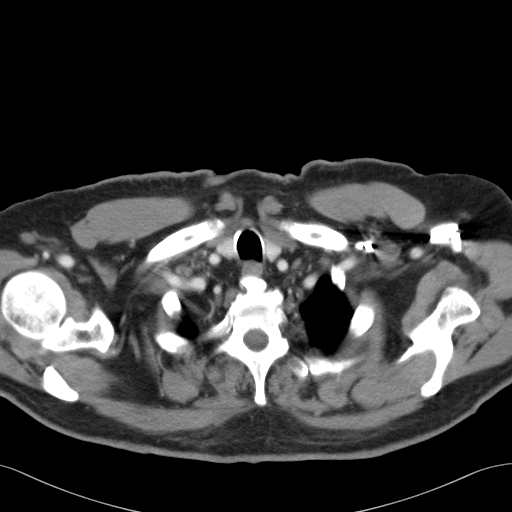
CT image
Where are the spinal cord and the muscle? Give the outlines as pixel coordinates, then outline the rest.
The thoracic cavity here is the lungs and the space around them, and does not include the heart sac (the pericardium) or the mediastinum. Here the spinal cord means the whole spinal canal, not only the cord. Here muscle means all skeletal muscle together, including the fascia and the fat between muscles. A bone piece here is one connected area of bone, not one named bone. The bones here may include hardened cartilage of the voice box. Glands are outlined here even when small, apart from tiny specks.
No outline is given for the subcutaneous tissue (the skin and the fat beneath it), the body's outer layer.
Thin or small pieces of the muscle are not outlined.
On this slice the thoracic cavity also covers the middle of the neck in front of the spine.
Outlines (x, y in pixels):
spinal cord: (254, 329) (257, 329) (258, 330) (260, 330) (262, 331) (267, 336) (267, 342) (265, 346) (264, 346) (261, 349) (259, 350) (254, 350) (250, 348) (244, 342) (244, 340) (243, 339) (244, 338) (244, 336) (245, 334) (247, 332) (248, 332) (250, 330) (253, 330)
muscle: (368, 181) (398, 186) (465, 238) (511, 243) (511, 357) (443, 386) (454, 330) (481, 313) (468, 290) (447, 286) (395, 361) (434, 356) (419, 388) (428, 398) (415, 411) (330, 430) (257, 407) (205, 433) (148, 434) (79, 402) (52, 364) (41, 374) (45, 392) (0, 374) (0, 313) (56, 353) (105, 354) (115, 335) (97, 303) (86, 320) (68, 314) (63, 289) (39, 269) (14, 273) (0, 293) (0, 248) (26, 232) (69, 226) (116, 198) (303, 196) with holes at (248, 222) (316, 275) (339, 264) (352, 309) (364, 296) (377, 307) (363, 334) (330, 353) (289, 322) (290, 348) (267, 371) (263, 406) (248, 368) (213, 353) (220, 338) (197, 337) (189, 354) (153, 339) (181, 320) (167, 315) (163, 293) (174, 288) (181, 301) (198, 252) and at (217, 217) (223, 220) (225, 223) (225, 227) (223, 232) (220, 235) (212, 239) (207, 240) (193, 248) (177, 253) (171, 256) (167, 260) (160, 260) (148, 265) (144, 264) (143, 262) (148, 252) (156, 244) (172, 232) (184, 226) (187, 226) (190, 224) (205, 219) (212, 219) and at (282, 219) (288, 219) (289, 220) (295, 220) (303, 222) (318, 222) (325, 224) (329, 227) (338, 231) (346, 238) (347, 244) (345, 247) (345, 249) (340, 251) (336, 251) (331, 249) (325, 249) (319, 246) (305, 244) (295, 239) (293, 239) (285, 231) (278, 228) (278, 224) and at (303, 354) (307, 354) (315, 357) (325, 357) (330, 360) (340, 360) (347, 358) (357, 358) (357, 360) (351, 366) (343, 370) (339, 375) (331, 373) (326, 373) (322, 375) (313, 375) (309, 373) (305, 378) (301, 379) (295, 375) (289, 363) (292, 360) (293, 356) (301, 356)
right arm: (21, 200) (35, 208) (39, 212) (53, 222) (62, 231) (66, 237) (72, 249) (75, 258) (75, 263) (78, 270) (78, 288) (69, 314) (64, 321) (58, 327) (36, 343) (34, 343) (30, 346) (12, 352) (5, 357) (0, 358) (0, 210) (5, 208) (16, 201) (20, 201)
torso: (360, 156) (403, 162) (425, 174) (483, 177) (461, 236) (460, 283) (483, 316) (511, 331) (511, 384) (474, 414) (425, 441) (370, 458) (215, 463) (75, 439) (0, 396) (0, 359) (58, 328) (79, 288) (67, 237) (24, 199) (127, 173) (255, 168) (297, 174) (311, 159)
thyroid glands 1: (226, 237) (231, 237) (232, 238) (233, 240) (233, 243) (234, 244) (234, 247) (235, 248) (235, 256) (232, 259) (230, 260) (224, 257) (217, 250) (217, 248) (216, 247) (216, 245) (217, 243) (219, 242) (222, 239)
thyroid glands 2: (267, 236) (268, 236) (272, 240) (277, 242) (280, 245) (280, 247) (281, 248) (281, 251) (280, 252) (280, 253) (277, 256) (277, 257) (276, 257) (275, 258) (275, 259) (272, 261) (270, 261) (268, 259) (268, 258) (266, 256) (266, 254) (265, 253) (265, 241) (264, 240)
bones 1: (32, 269) (47, 274) (57, 282) (66, 299) (67, 314) (76, 321) (86, 321) (96, 304) (102, 308) (114, 327) (113, 339) (105, 353) (101, 353) (95, 348) (81, 348) (59, 352) (43, 349) (18, 333) (5, 320) (0, 312) (0, 294) (4, 283) (14, 274)
bones 2: (245, 274) (263, 278) (270, 288) (279, 288) (283, 295) (282, 307) (289, 321) (284, 333) (290, 348) (267, 371) (264, 385) (266, 403) (263, 406) (254, 401) (255, 382) (248, 368) (225, 352) (213, 353) (214, 346) (221, 339) (198, 337) (222, 319) (240, 289) (239, 278); inner edge: (254, 329) (257, 329) (258, 330) (260, 330) (262, 331) (267, 336) (267, 342) (265, 346) (264, 346) (261, 349) (259, 350) (254, 350) (250, 348) (244, 342) (244, 340) (243, 339) (244, 338) (244, 336) (245, 334) (247, 332) (248, 332) (250, 330) (253, 330)
bones 3: (449, 286) (457, 286) (468, 291) (478, 304) (480, 313) (473, 321) (458, 325) (453, 330) (451, 334) (453, 352) (443, 373) (442, 386) (435, 394) (424, 397) (420, 393) (420, 388) (433, 372) (434, 354) (428, 350) (400, 363) (396, 361) (412, 343) (406, 333) (431, 313)
bones 4: (217, 217) (223, 220) (225, 223) (225, 227) (223, 232) (220, 235) (212, 239) (207, 240) (193, 248) (177, 253) (171, 256) (167, 260) (160, 260) (148, 265) (144, 264) (143, 262) (148, 252) (156, 244) (172, 232) (184, 226) (187, 226) (190, 224) (205, 219) (212, 219)
bones 5: (282, 219) (288, 219) (289, 220) (295, 220) (303, 222) (318, 222) (325, 224) (329, 227) (338, 231) (346, 238) (347, 244) (345, 247) (345, 249) (340, 251) (336, 251) (331, 249) (325, 249) (319, 246) (305, 244) (295, 239) (293, 239) (285, 231) (278, 228) (278, 224)
bones 6: (303, 354) (307, 354) (315, 357) (325, 357) (330, 360) (340, 360) (347, 358) (357, 358) (357, 360) (351, 366) (343, 370) (339, 375) (331, 373) (326, 373) (322, 375) (313, 375) (309, 373) (305, 378) (301, 379) (295, 375) (289, 363) (292, 360) (293, 356) (301, 356)
bones 7: (49, 365) (52, 365) (58, 371) (58, 372) (63, 377) (67, 383) (78, 393) (79, 395) (79, 398) (77, 401) (75, 402) (68, 402) (67, 401) (62, 400) (57, 397) (55, 397) (49, 394) (42, 388) (42, 386) (41, 385) (42, 374) (43, 373) (44, 369)
bones 8: (364, 296) (368, 297) (374, 302) (375, 302) (376, 304) (377, 311) (375, 314) (374, 320) (371, 326) (360, 336) (356, 338) (350, 338) (349, 337) (347, 337) (346, 336) (346, 334) (347, 333) (348, 326) (350, 322) (350, 319) (353, 314) (354, 308) (363, 299)
bones 9: (157, 328) (161, 328) (166, 331) (174, 331) (181, 336) (183, 336) (187, 338) (189, 340) (190, 340) (191, 341) (191, 343) (190, 344) (190, 346) (191, 347) (190, 353) (189, 354) (186, 354) (185, 353) (170, 353) (162, 349) (154, 341) (153, 339) (153, 333)
bones 10: (171, 288) (174, 288) (176, 290) (177, 295) (182, 305) (182, 312) (180, 316) (176, 319) (173, 319) (172, 318) (170, 318) (167, 315) (160, 301) (161, 299) (161, 297) (163, 293) (166, 290) (168, 289) (170, 289)
bones 11: (339, 264) (340, 267) (344, 270) (344, 272) (345, 273) (345, 288) (344, 289) (344, 291) (341, 291) (334, 284) (333, 284) (332, 283) (332, 282) (331, 281) (331, 278) (330, 277) (330, 274) (329, 273) (329, 272) (330, 271) (330, 269) (331, 268) (332, 265) (338, 265)
left arm: (484, 178) (491, 180) (498, 184) (511, 198) (511, 330) (505, 329) (494, 321) (490, 320) (483, 315) (471, 297) (465, 292) (461, 283) (460, 248) (462, 243) (462, 236) (463, 235) (466, 221) (468, 218) (470, 210) (472, 208) (473, 203) (476, 198) (476, 195) (479, 186)
thoracic cavity: (248, 222) (267, 235) (264, 253) (270, 262) (281, 246) (289, 246) (316, 275) (328, 273) (344, 293) (353, 310) (334, 351) (303, 342) (284, 310) (280, 288) (251, 273) (238, 278) (238, 291) (221, 319) (195, 340) (177, 332) (198, 252) (215, 247) (232, 260) (231, 236)